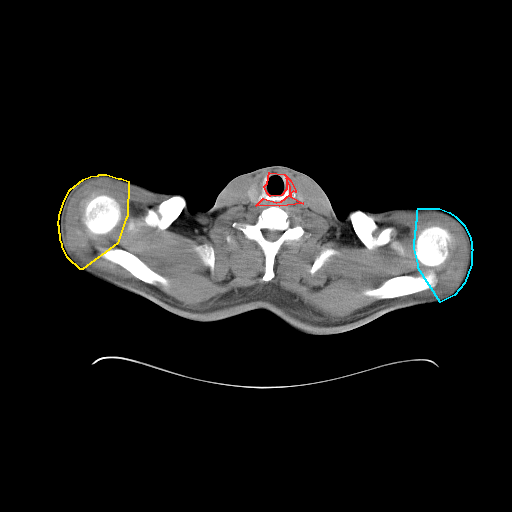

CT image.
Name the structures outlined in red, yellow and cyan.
red: middle of the neck; yellow: right arm; cyan: left arm.
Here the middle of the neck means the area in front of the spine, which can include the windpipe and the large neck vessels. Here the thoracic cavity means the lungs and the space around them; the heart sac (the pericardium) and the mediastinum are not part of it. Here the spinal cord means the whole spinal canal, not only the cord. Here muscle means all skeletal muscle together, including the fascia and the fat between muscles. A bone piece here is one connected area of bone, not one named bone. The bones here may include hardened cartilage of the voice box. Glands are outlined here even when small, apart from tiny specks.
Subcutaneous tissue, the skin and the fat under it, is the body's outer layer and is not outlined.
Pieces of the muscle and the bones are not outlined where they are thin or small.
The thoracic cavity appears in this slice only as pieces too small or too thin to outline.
The middle of the neck is outlined by (269, 172) (284, 174) (290, 180) (295, 190) (295, 192) (293, 191) (290, 193) (290, 196) (303, 203) (279, 206) (256, 205) (263, 198) (276, 202) (281, 201) (290, 194) (290, 186) (286, 178) (286, 189) (281, 195) (270, 196) (267, 193) (264, 186) (267, 183). The right arm is outlined by (99, 174) (106, 174) (118, 178) (121, 178) (128, 181) (127, 216) (125, 219) (117, 243) (82, 269) (80, 269) (68, 258) (62, 247) (62, 244) (60, 239) (60, 234) (59, 233) (59, 226) (58, 225) (59, 215) (64, 200) (70, 189) (83, 179) (90, 176) (98, 175). The left arm is outlined by (418, 208) (439, 208) (449, 212) (455, 216) (463, 224) (469, 235) (471, 242) (471, 248) (472, 249) (471, 252) (471, 264) (464, 283) (454, 295) (440, 302) (418, 268) (418, 264) (414, 248) (414, 239) (415, 238) (415, 230) (416, 229) (416, 221) (417, 220) (417, 211). The bones appear in 9 outlined pieces: piece 1: (434, 225) (447, 228) (453, 235) (453, 243) (449, 248) (448, 258) (434, 269) (437, 278) (435, 286) (408, 295) (385, 299) (376, 299) (362, 294) (364, 290) (375, 288) (391, 277) (406, 274) (421, 275) (425, 273) (428, 268) (416, 258) (413, 248) (419, 232) (424, 228); piece 2: (270, 206) (278, 206) (283, 209) (288, 213) (291, 223) (299, 224) (305, 232) (299, 239) (289, 240) (281, 245) (274, 258) (274, 276) (270, 280) (264, 281) (262, 280) (265, 271) (264, 252) (254, 240) (247, 238) (241, 230) (232, 225) (234, 222) (253, 223) (262, 210) with a hole at (263, 229) (268, 229) (269, 230) (278, 230) (279, 231) (281, 231) (282, 232) (281, 233) (281, 234) (280, 235) (280, 236) (277, 239) (276, 239) (273, 241) (271, 241) (270, 240) (268, 240) (266, 238) (265, 238) (265, 237) (263, 234) (263, 232) (262, 231) (262, 230); piece 3: (101, 194) (107, 194) (113, 197) (119, 203) (119, 205) (120, 206) (120, 210) (121, 211) (121, 219) (118, 224) (110, 232) (103, 235) (92, 235) (89, 232) (82, 220) (83, 210) (86, 203) (88, 201) (89, 201) (92, 198) (94, 198); piece 4: (358, 209) (371, 216) (380, 229) (388, 226) (394, 227) (395, 229) (395, 234) (393, 237) (397, 240) (403, 247) (404, 250) (403, 254) (399, 253) (395, 249) (392, 248) (389, 244) (379, 246) (373, 249) (369, 249) (366, 247) (355, 233) (351, 221) (349, 218) (350, 212); piece 5: (101, 248) (121, 248) (133, 253) (141, 260) (142, 260) (151, 269) (167, 278) (169, 281) (168, 285) (167, 286) (163, 286) (160, 283) (157, 283) (153, 285) (152, 284) (146, 283) (140, 280) (138, 278) (135, 277) (129, 271) (119, 264) (112, 262) (100, 256) (100, 249); piece 6: (177, 194) (181, 195) (185, 198) (186, 205) (183, 208) (180, 214) (165, 229) (159, 229) (146, 225) (138, 226) (133, 230) (128, 230) (127, 229) (128, 223) (131, 219) (138, 219) (140, 218) (146, 213) (147, 209) (149, 208) (155, 208) (164, 200) (166, 200) (168, 198); piece 7: (202, 244) (207, 244) (211, 246) (213, 248) (215, 260) (214, 261) (214, 267) (213, 268) (213, 271) (212, 272) (210, 270) (210, 268) (208, 266) (204, 265) (201, 262) (201, 260) (198, 254) (194, 250) (193, 248) (194, 246) (196, 245) (201, 245); piece 8: (324, 248) (332, 248) (333, 249) (335, 249) (336, 250) (337, 250) (339, 252) (339, 253) (338, 254) (335, 254) (334, 255) (332, 255) (323, 264) (323, 265) (319, 269) (318, 269) (313, 274) (311, 274) (309, 272) (309, 269) (313, 264) (313, 262) (314, 261) (315, 258); piece 9: (268, 173) (269, 174) (266, 177) (266, 183) (263, 187) (266, 193) (270, 197) (279, 197) (285, 192) (287, 189) (287, 184) (286, 179) (286, 182) (287, 184) (289, 186) (289, 194) (281, 200) (274, 201) (266, 199) (263, 197) (260, 200) (258, 197) (261, 194) (263, 187) (262, 180) (265, 175). The spinal cord is outlined by (263, 229) (268, 229) (269, 230) (278, 230) (279, 231) (281, 231) (282, 232) (281, 233) (281, 234) (280, 235) (280, 236) (277, 239) (276, 239) (273, 241) (271, 241) (270, 240) (268, 240) (266, 238) (265, 238) (265, 237) (263, 234) (263, 232) (262, 231) (262, 230). The head and neck is outlined by (272, 165) (287, 166) (304, 173) (312, 178) (321, 187) (325, 192) (336, 216) (341, 219) (339, 240) (337, 247) (325, 270) (295, 308) (279, 313) (271, 313) (264, 309) (236, 309) (223, 298) (217, 289) (207, 248) (206, 210) (214, 205) (218, 194) (230, 180) (241, 174). The thyroid glands appear in 2 outlined pieces: piece 1: (252, 184) (256, 184) (256, 187) (257, 188) (257, 197) (258, 198) (258, 199) (259, 200) (259, 202) (257, 204) (255, 204) (254, 203) (252, 203) (248, 199) (248, 198) (247, 197) (247, 196) (246, 195) (246, 192) (247, 191) (247, 190) (248, 189) (248, 188); piece 2: (295, 187) (296, 188) (297, 188) (302, 193) (302, 197) (303, 198) (303, 201) (300, 201) (296, 197) (296, 190) (295, 189). The muscle is outlined by (268, 169) (286, 169) (313, 182) (333, 218) (341, 224) (349, 219) (369, 250) (389, 245) (401, 255) (405, 252) (394, 237) (395, 227) (380, 228) (372, 216) (431, 211) (451, 218) (467, 243) (461, 278) (453, 288) (437, 295) (412, 294) (435, 287) (435, 269) (450, 256) (454, 235) (437, 224) (421, 229) (413, 244) (413, 254) (427, 268) (425, 272) (391, 276) (364, 289) (362, 295) (379, 300) (342, 315) (299, 305) (267, 283) (207, 307) (193, 308) (155, 286) (167, 287) (169, 279) (121, 247) (101, 247) (99, 256) (141, 281) (112, 277) (84, 265) (68, 248) (64, 229) (69, 199) (82, 185) (110, 179) (167, 198) (131, 218) (126, 226) (128, 231) (141, 226) (165, 230) (185, 207) (190, 216) (210, 217) (230, 184); inner edges: (269, 172) (284, 174) (302, 193) (303, 203) (279, 206) (288, 213) (291, 223) (299, 224) (305, 232) (299, 239) (281, 245) (274, 258) (274, 276) (264, 281) (264, 252) (254, 240) (247, 238) (232, 225) (234, 222) (253, 223) (262, 210) (268, 207) (248, 203) (246, 192), then (101, 194) (107, 194) (113, 197) (119, 203) (119, 205) (120, 206) (120, 210) (121, 211) (121, 219) (118, 224) (110, 232) (103, 235) (92, 235) (89, 232) (82, 220) (83, 210) (86, 203) (88, 201) (89, 201) (92, 198) (94, 198), then (202, 244) (207, 244) (211, 246) (213, 248) (215, 260) (214, 261) (214, 267) (213, 268) (213, 271) (212, 272) (210, 270) (210, 268) (208, 266) (204, 265) (201, 262) (201, 260) (198, 254) (194, 250) (193, 248) (194, 246) (196, 245) (201, 245), then (324, 248) (332, 248) (333, 249) (335, 249) (336, 250) (337, 250) (339, 252) (339, 253) (338, 254) (335, 254) (334, 255) (332, 255) (323, 264) (323, 265) (319, 269) (318, 269) (313, 274) (311, 274) (309, 272) (309, 269) (313, 264) (313, 262) (314, 261) (315, 258). The torso appears in 2 outlined pieces: piece 1: (406, 207) (417, 208) (413, 239) (413, 248) (417, 268) (439, 302) (416, 305) (390, 311) (355, 328) (327, 335) (309, 335) (299, 332) (284, 323) (273, 314) (279, 314) (295, 309) (326, 270) (339, 244) (342, 219) (352, 210) (359, 208) (372, 212) (379, 212) (394, 208); piece 2: (129, 181) (145, 186) (158, 192) (181, 194) (184, 196) (186, 203) (191, 211) (197, 210) (205, 211) (206, 248) (217, 292) (225, 301) (235, 308) (236, 310) (249, 311) (215, 321) (195, 321) (174, 314) (140, 295) (102, 281) (82, 270) (118, 243) (126, 219) (128, 216).